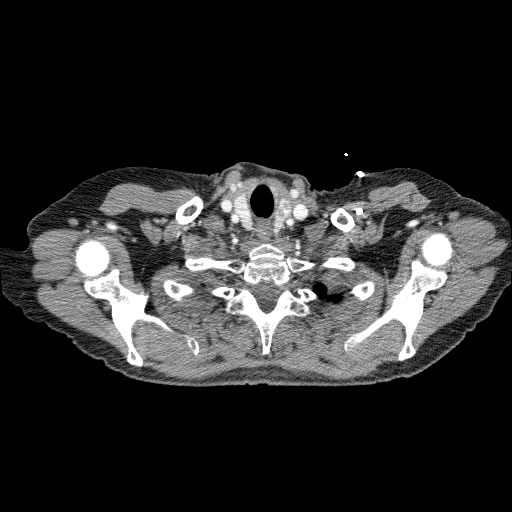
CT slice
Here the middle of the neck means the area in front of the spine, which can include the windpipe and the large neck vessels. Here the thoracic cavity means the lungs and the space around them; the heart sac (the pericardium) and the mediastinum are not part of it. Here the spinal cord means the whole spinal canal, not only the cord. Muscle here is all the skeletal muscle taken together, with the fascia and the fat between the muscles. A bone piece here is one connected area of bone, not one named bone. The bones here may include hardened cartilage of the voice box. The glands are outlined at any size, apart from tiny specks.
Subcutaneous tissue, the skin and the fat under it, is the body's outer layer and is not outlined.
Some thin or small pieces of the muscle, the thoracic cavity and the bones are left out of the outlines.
The thyroid glands appear in 2 outlined pieces: piece 1: 243,192 245,192 246,193 246,197 247,198 249,209 251,212 251,215 252,216 252,219 253,220 253,228 250,230 248,230 244,227 240,218 235,213 234,209 231,204 231,203 235,200 237,196 239,194; piece 2: 284,196 287,197 290,201 291,203 291,206 293,208 293,210 289,217 287,218 287,219 283,224 283,226 280,229 276,229 276,228 274,226 274,218 275,217 274,216 275,215 275,212 278,208 279,200 281,200. The middle of the neck is outlined by 256,184 270,185 278,199 273,216 273,226 276,230 284,226 298,204 304,205 307,209 305,219 280,233 270,242 261,242 253,235 240,231 222,209 222,203 230,203 243,227 248,231 252,230 254,220 246,191. The muscle is outlined by 233,170 299,179 324,203 411,181 432,200 425,212 481,216 508,243 485,294 417,351 425,296 444,285 455,252 445,232 425,237 390,306 342,344 351,356 400,323 395,361 366,376 243,367 165,377 142,367 133,327 173,330 145,311 148,293 121,283 106,246 85,239 73,265 84,290 108,302 125,359 40,303 34,237 103,217 117,184 201,188 with holes at 256,184 307,209 270,242 316,264 294,273 293,286 324,282 345,294 335,303 309,302 304,317 286,316 267,355 252,321 227,313 225,300 208,292 238,286 239,276 184,265 186,256 245,259 261,242 222,209 and at 196,194 199,195 201,197 203,201 203,206 200,210 199,212 199,214 194,219 186,223 179,223 176,219 176,212 178,208 183,203 184,203 186,201 190,199 194,195 and at 165,279 175,279 176,281 179,283 188,283 195,289 195,292 193,293 191,293 183,297 179,301 176,301 175,300 173,300 165,293 164,291 164,289 162,286 163,284 163,281 and at 336,256 347,256 348,257 350,257 356,262 356,265 355,267 351,271 349,271 348,272 341,272 340,271 337,271 336,270 330,270 329,269 320,270 318,268 318,266 322,262 325,261 327,258 329,257 335,257 and at 366,280 372,280 373,281 374,281 375,282 375,289 374,290 374,292 365,300 358,300 354,296 353,296 352,295 350,295 349,294 347,294 347,292 356,284 357,284 358,283 361,283 362,282 363,282 and at 339,207 340,208 342,208 352,218 352,219 354,222 354,224 353,225 352,228 349,231 344,231 342,229 340,229 339,228 336,227 332,224 332,222 330,219 331,218 331,214 333,212 334,212 337,208 338,208 and at 185,335 190,335 191,336 193,336 198,341 198,343 199,344 199,348 200,349 200,350 196,356 194,356 193,355 193,354 190,352 190,351 188,349 188,348 186,346 186,344 185,343 185,337 184,336. The thoracic cavity is outlined by 316,282 324,282 325,283 330,283 340,288 340,289 344,292 345,295 344,297 341,298 338,302 336,302 335,303 333,303 329,301 324,301 323,300 321,300 319,299 319,297 318,295 311,288 313,284. The spinal cord is outlined by 260,283 265,283 266,284 272,283 272,284 278,289 277,290 278,292 278,295 276,298 276,302 275,303 275,305 269,312 264,312 260,308 257,302 256,297 253,292 253,290 254,289 253,288 254,286 258,285. The right arm is outlined by 88,178 95,193 96,214 102,237 101,256 69,297 69,299 44,323 30,321 24,316 22,310 18,306 12,304 3,294 0,272 0,247 7,246 17,250 25,249 28,246 26,228 29,221 36,214. The bones appear in 9 outlined pieces: piece 1: 259,243 316,264 294,273 293,286 309,287 318,300 308,303 311,313 306,316 286,316 281,321 267,355 261,353 252,321 227,313 225,300 208,292 238,286 239,276 211,269 192,271 184,265 186,256 245,259, around a hole outlined by 260,283 265,283 266,284 272,283 272,284 278,289 277,290 278,292 278,295 276,298 276,302 275,303 275,305 269,312 264,312 260,308 257,302 256,297 253,292 253,290 254,289 253,288 254,286 258,285; piece 2: 434,232 445,233 454,252 444,267 447,278 443,285 424,296 423,312 411,337 416,352 396,360 405,330 392,320 351,355 347,353 343,344 348,334 364,329 391,306 393,296 411,276 412,261 422,257 422,243; piece 3: 87,239 105,246 108,266 119,271 120,283 133,292 148,294 144,311 172,330 165,331 153,322 138,320 134,324 132,341 143,359 141,367 127,362 128,348 114,325 109,302 85,290 84,278 74,265 75,250; piece 4: 196,194 199,195 201,197 203,201 203,206 200,210 199,212 199,214 194,219 186,223 179,223 176,219 176,212 178,208 183,203 184,203 186,201 190,199 194,195; piece 5: 165,279 175,279 176,281 179,283 188,283 195,289 195,292 193,293 191,293 183,297 179,301 176,301 175,300 173,300 165,293 164,291 164,289 162,286 163,284 163,281; piece 6: 336,256 347,256 348,257 350,257 356,262 356,265 355,267 351,271 349,271 348,272 341,272 340,271 337,271 336,270 330,270 329,269 320,270 318,268 318,266 322,262 325,261 327,258 329,257 335,257; piece 7: 366,280 372,280 373,281 374,281 375,282 375,289 374,290 374,292 365,300 358,300 354,296 353,296 352,295 350,295 349,294 347,294 347,292 356,284 357,284 358,283 361,283 362,282 363,282; piece 8: 339,207 340,208 342,208 352,218 352,219 354,222 354,224 353,225 352,228 349,231 344,231 342,229 340,229 339,228 336,227 332,224 332,222 330,219 331,218 331,214 333,212 334,212 337,208 338,208; piece 9: 185,335 190,335 191,336 193,336 198,341 198,343 199,344 199,348 200,349 200,350 196,356 194,356 193,355 193,354 190,352 190,351 188,349 188,348 186,346 186,344 185,343 185,337 184,336. The torso is outlined by 238,162 299,173 318,190 343,186 362,172 396,167 426,172 418,202 418,240 446,288 492,312 461,343 424,371 372,385 182,387 134,380 107,368 45,324 70,299 102,256 96,193 89,178 126,166 211,174. The left arm is outlined by 429,174 435,178 446,182 463,196 472,198 487,205 490,208 498,211 508,219 511,238 511,279 510,283 497,300 493,310 470,303 466,299 458,296 453,290 446,287 443,284 441,277 419,240 419,202 423,194.